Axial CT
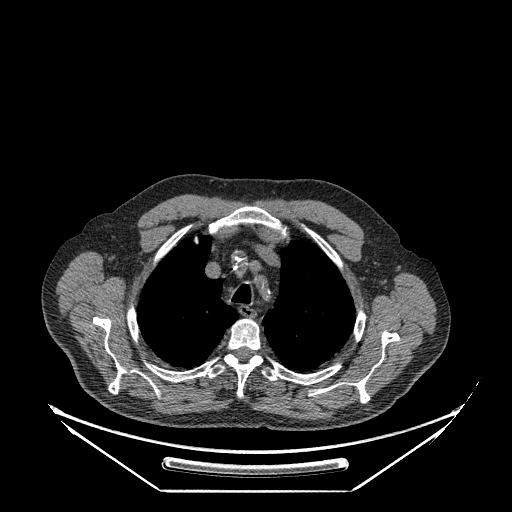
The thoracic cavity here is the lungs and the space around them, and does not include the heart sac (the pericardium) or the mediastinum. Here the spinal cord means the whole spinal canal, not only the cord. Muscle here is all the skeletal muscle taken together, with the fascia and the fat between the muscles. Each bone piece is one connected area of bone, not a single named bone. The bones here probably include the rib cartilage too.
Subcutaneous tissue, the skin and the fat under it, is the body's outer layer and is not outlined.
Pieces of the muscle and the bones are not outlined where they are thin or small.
The muscle is outlined by (184, 193) (231, 198) (309, 198) (337, 208) (355, 221) (364, 232) (361, 259) (355, 268) (361, 278) (361, 286) (367, 299) (369, 301) (377, 295) (387, 295) (393, 287) (393, 278) (397, 274) (402, 272) (414, 274) (424, 281) (435, 302) (437, 311) (434, 332) (401, 373) (371, 400) (372, 397) (366, 389) (367, 381) (384, 361) (387, 345) (400, 340) (400, 335) (396, 331) (387, 329) (380, 333) (380, 356) (363, 377) (355, 381) (341, 380) (326, 386) (309, 388) (306, 395) (314, 397) (344, 385) (351, 386) (357, 390) (358, 401) (361, 404) (369, 402) (330, 419) (298, 419) (258, 411) (242, 401) (236, 401) (228, 408) (203, 414) (166, 414) (146, 410) (116, 396) (120, 391) (122, 376) (133, 373) (148, 383) (158, 400) (162, 398) (160, 389) (146, 372) (138, 367) (128, 369) (119, 362) (109, 345) (112, 321) (107, 316) (98, 315) (94, 315) (91, 321) (103, 329) (103, 347) (111, 357) (116, 370) (115, 376) (106, 387) (102, 376) (60, 317) (55, 299) (57, 282) (73, 258) (88, 250) (103, 256) (106, 276) (130, 279) (138, 265) (140, 240) (136, 226) (138, 219) (158, 203), around a hole outlined by (243, 204) (264, 208) (286, 224) (291, 235) (313, 240) (300, 223) (320, 234) (342, 260) (354, 305) (362, 304) (366, 321) (360, 340) (353, 345) (351, 335) (320, 368) (341, 361) (335, 374) (304, 385) (281, 378) (271, 381) (257, 366) (239, 399) (238, 377) (231, 366) (211, 379) (178, 382) (146, 368) (143, 357) (167, 366) (142, 340) (133, 340) (126, 312) (131, 298) (135, 307) (138, 303) (155, 253) (177, 229) (193, 223) (185, 235) (202, 232). The thoracic cavity appears in 2 outlined pieces: piece 1: (198, 232) (210, 236) (212, 239) (210, 253) (204, 266) (204, 273) (210, 279) (220, 280) (220, 299) (236, 312) (238, 318) (227, 329) (211, 356) (202, 363) (181, 370) (166, 368) (167, 366) (148, 348) (142, 338) (137, 319) (136, 306) (145, 281) (160, 261) (180, 240) with a hole at (195, 235) (196, 235) (197, 235) (197, 236) (198, 237) (198, 238) (198, 239) (198, 240) (198, 241) (198, 242) (198, 243) (197, 244) (196, 244) (195, 244) (194, 243) (194, 242) (193, 241) (193, 240) (193, 239) (193, 238) (193, 237) (194, 236); piece 2: (292, 235) (312, 241) (333, 263) (348, 286) (355, 306) (355, 319) (348, 340) (340, 351) (319, 369) (309, 372) (292, 370) (278, 361) (272, 354) (266, 343) (266, 338) (262, 334) (262, 321) (266, 314) (274, 308) (280, 291) (280, 269) (282, 264) (281, 249) (288, 244). The spinal cord is outlined by (241, 347) (247, 347) (248, 348) (249, 348) (253, 352) (252, 353) (252, 355) (247, 360) (247, 361) (246, 361) (245, 362) (240, 362) (239, 361) (239, 360) (238, 359) (238, 358) (235, 355) (235, 351) (236, 350) (237, 350) (239, 348) (240, 348). The mediastinum is outlined by (240, 225) (259, 225) (280, 236) (287, 243) (280, 249) (279, 253) (281, 264) (277, 299) (273, 308) (263, 317) (261, 321) (262, 327) (250, 317) (239, 317) (237, 312) (221, 299) (221, 280) (218, 278) (210, 278) (205, 273) (205, 266) (211, 253) (212, 237) (224, 229). The bones appear in 8 outlined pieces: piece 1: (239, 318) (254, 320) (267, 352) (292, 371) (314, 372) (338, 361) (342, 367) (304, 385) (281, 378) (271, 381) (257, 366) (246, 378) (241, 399) (236, 395) (237, 373) (228, 365) (211, 379) (162, 379) (146, 368) (143, 357) (166, 369) (191, 369) (218, 353) (225, 334); inner edge: (241, 347) (247, 347) (248, 348) (249, 348) (253, 352) (252, 353) (252, 355) (247, 360) (247, 361) (246, 361) (245, 362) (240, 362) (239, 361) (239, 360) (238, 359) (238, 358) (235, 355) (235, 351) (236, 350) (237, 350) (239, 348) (240, 348); piece 2: (243, 204) (256, 204) (264, 208) (274, 217) (279, 219) (284, 224) (286, 224) (289, 227) (291, 235) (290, 240) (286, 242) (280, 235) (264, 228) (259, 224) (253, 225) (240, 224) (236, 226) (224, 228) (213, 236) (204, 234) (202, 232) (209, 223) (226, 216) (234, 209); piece 3: (94, 316) (110, 319) (108, 345) (111, 351) (118, 362) (128, 370) (138, 368) (146, 373) (159, 389) (160, 399) (157, 398) (149, 383) (134, 372) (121, 376) (117, 394) (114, 395) (108, 391) (107, 386) (116, 376) (117, 370) (112, 357) (104, 347) (105, 331) (93, 323); piece 4: (384, 330) (396, 332) (399, 335) (399, 340) (389, 342) (386, 345) (383, 361) (366, 381) (365, 389) (371, 397) (369, 401) (361, 403) (358, 390) (354, 386) (344, 384) (314, 396) (307, 395) (309, 389) (322, 388) (341, 381) (355, 382) (363, 378) (381, 356) (381, 333); piece 5: (300, 223) (304, 223) (308, 227) (311, 228) (320, 234) (336, 251) (342, 260) (342, 262) (343, 263) (343, 270) (344, 271) (344, 273) (348, 279) (348, 285) (342, 276) (341, 273) (339, 271) (338, 268) (317, 245) (317, 244) (313, 241) (311, 237) (300, 226); piece 6: (189, 223) (193, 223) (193, 225) (188, 231) (188, 232) (181, 239) (180, 239) (178, 241) (178, 242) (166, 254) (166, 255) (164, 256) (159, 261) (157, 265) (149, 274) (149, 275) (145, 280) (145, 277) (152, 265) (153, 258) (157, 250) (177, 229); piece 7: (131, 298) (132, 298) (135, 307) (135, 310) (136, 311) (136, 319) (140, 331) (140, 335) (141, 338) (143, 340) (143, 341) (140, 340) (138, 343) (136, 343) (133, 340) (130, 334) (128, 325) (127, 324) (127, 320) (126, 319) (126, 312) (127, 311) (127, 308) (129, 306); piece 8: (361, 304) (362, 304) (363, 309) (366, 314) (365, 327) (364, 328) (364, 330) (360, 340) (354, 345) (353, 345) (353, 337) (352, 336) (352, 332) (353, 331) (353, 328) (354, 327) (354, 324) (356, 319) (356, 308) (357, 308). The torso is outlined by (186, 173) (320, 179) (363, 199) (397, 232) (404, 247) (436, 267) (451, 312) (449, 337) (441, 355) (386, 411) (361, 423) (332, 429) (176, 428) (131, 419) (101, 405) (81, 387) (69, 359) (47, 331) (41, 308) (45, 272) (58, 248) (91, 218) (112, 211) (161, 179).